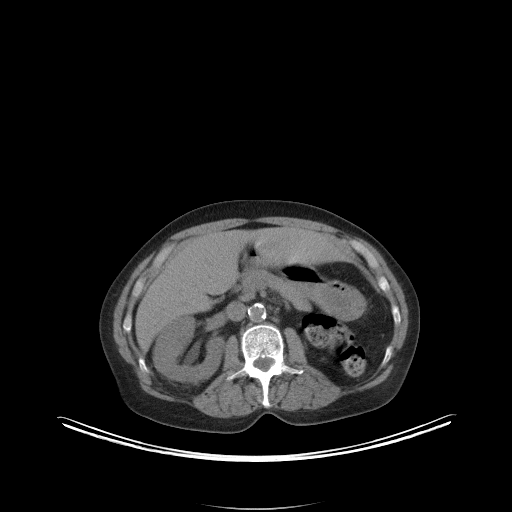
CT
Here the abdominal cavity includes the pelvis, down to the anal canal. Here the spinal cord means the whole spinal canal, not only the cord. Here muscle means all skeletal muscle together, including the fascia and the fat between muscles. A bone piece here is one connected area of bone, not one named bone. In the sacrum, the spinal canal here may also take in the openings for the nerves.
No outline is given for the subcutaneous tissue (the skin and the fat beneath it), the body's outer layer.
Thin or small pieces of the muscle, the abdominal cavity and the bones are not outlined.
The spinal cord is outlined by (259, 358) (270, 358) (271, 359) (272, 359) (273, 360) (273, 363) (268, 368) (268, 369) (267, 370) (262, 370) (261, 369) (260, 369) (259, 368) (258, 368) (257, 367) (256, 367) (254, 365) (254, 362) (257, 359) (258, 359). The muscle is outlined by (265, 216) (322, 222) (365, 240) (380, 253) (400, 285) (408, 309) (406, 336) (389, 375) (373, 387) (344, 395) (317, 409) (287, 411) (270, 407) (268, 394) (272, 378) (284, 373) (299, 375) (304, 372) (285, 362) (285, 328) (292, 328) (298, 335) (309, 365) (335, 384) (351, 386) (364, 382) (380, 365) (382, 367) (390, 360) (393, 347) (389, 344) (394, 325) (397, 326) (402, 318) (399, 307) (391, 306) (386, 294) (391, 290) (388, 280) (384, 275) (377, 278) (372, 270) (379, 266) (378, 261) (361, 242) (350, 239) (348, 243) (337, 233) (307, 226) (256, 221) (191, 235) (160, 249) (151, 262) (152, 267) (158, 268) (155, 274) (144, 286) (143, 277) (133, 284) (131, 295) (138, 297) (131, 316) (127, 313) (121, 325) (125, 333) (131, 332) (135, 347) (143, 355) (137, 359) (140, 370) (147, 374) (149, 368) (156, 380) (172, 393) (201, 392) (222, 372) (226, 342) (235, 335) (244, 361) (225, 379) (230, 381) (247, 376) (258, 380) (263, 407) (243, 416) (220, 418) (191, 405) (145, 392) (131, 366) (119, 353) (113, 337) (113, 312) (135, 267) (168, 237) (186, 228) (227, 218). The abdominal cavity is outlined by (256, 222) (337, 234) (363, 257) (387, 296) (393, 321) (380, 364) (367, 379) (335, 383) (308, 363) (292, 327) (285, 327) (282, 334) (272, 323) (251, 325) (239, 339) (231, 334) (221, 372) (196, 393) (168, 390) (147, 366) (133, 340) (132, 313) (172, 248) (191, 236). The torso is outlined by (230, 199) (284, 199) (327, 209) (373, 235) (401, 265) (418, 296) (420, 329) (407, 376) (392, 400) (369, 412) (315, 425) (292, 425) (264, 414) (249, 428) (237, 433) (164, 425) (134, 413) (124, 404) (98, 332) (99, 311) (109, 285) (142, 244) (168, 222) (196, 207). The bones appear in 8 outlined pieces: piece 1: (257, 324) (272, 324) (277, 327) (284, 342) (284, 362) (290, 367) (303, 370) (299, 374) (284, 372) (271, 378) (267, 394) (270, 403) (269, 407) (264, 407) (261, 403) (263, 391) (258, 379) (247, 375) (230, 380) (226, 379) (228, 375) (244, 365) (240, 338) (247, 328), around a hole outlined by (259, 358) (270, 358) (271, 359) (272, 359) (273, 360) (273, 363) (268, 368) (268, 369) (267, 370) (262, 370) (261, 369) (260, 369) (259, 368) (258, 368) (257, 367) (256, 367) (254, 365) (254, 362) (257, 359) (258, 359); piece 2: (350, 240) (355, 240) (361, 243) (364, 246) (365, 246) (371, 252) (371, 253) (377, 261) (378, 263) (378, 266) (376, 268) (371, 268) (369, 267) (364, 257) (361, 254) (360, 254) (357, 251) (356, 251) (349, 243) (349, 241); piece 3: (169, 245) (171, 245) (172, 246) (171, 247) (171, 249) (170, 251) (167, 254) (165, 258) (162, 261) (160, 265) (158, 267) (154, 267) (152, 266) (152, 262) (155, 256) (158, 253) (158, 252) (159, 252) (160, 250) (161, 250) (163, 248); piece 4: (141, 278) (143, 278) (144, 279) (144, 280) (143, 281) (143, 286) (142, 287) (142, 289) (141, 290) (141, 292) (139, 294) (139, 295) (138, 296) (133, 296) (132, 295) (132, 289) (134, 286) (134, 284) (136, 282) (136, 281) (137, 280) (138, 280); piece 5: (393, 305) (396, 305) (398, 307) (398, 308) (399, 309) (399, 313) (400, 314) (400, 317) (401, 318) (401, 320) (400, 321) (400, 322) (397, 325) (396, 325) (395, 324) (394, 324) (394, 321) (393, 320) (393, 318) (392, 317) (392, 313) (391, 312) (391, 307); piece 6: (380, 276) (384, 276) (385, 277) (385, 278) (387, 280) (387, 281) (388, 282) (388, 283) (389, 284) (389, 285) (390, 286) (390, 290) (388, 292) (385, 292) (384, 291) (383, 291) (379, 287) (379, 283) (378, 282) (378, 278); piece 7: (388, 345) (390, 345) (392, 347) (392, 353) (391, 354) (391, 356) (390, 357) (390, 358) (389, 359) (389, 360) (384, 365) (383, 365) (382, 366) (381, 365) (381, 362) (382, 361) (382, 360) (384, 357) (384, 354) (385, 353) (385, 350) (386, 349) (386, 347); piece 8: (140, 357) (142, 357) (143, 358) (143, 359) (145, 362) (145, 364) (146, 365) (146, 366) (147, 367) (147, 369) (148, 370) (148, 372) (147, 373) (146, 373) (145, 372) (144, 372) (143, 371) (142, 371) (141, 370) (141, 369) (139, 366) (139, 363) (138, 362) (138, 359).